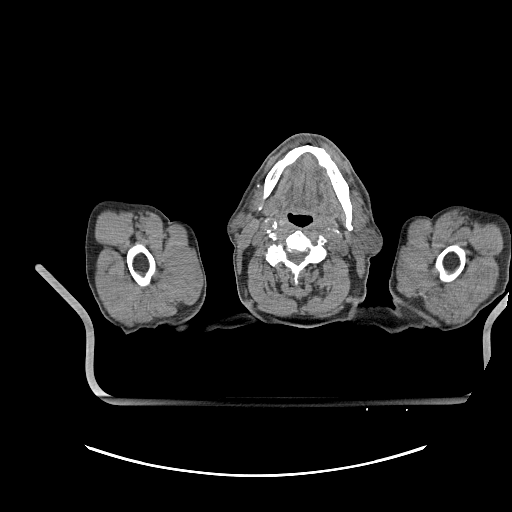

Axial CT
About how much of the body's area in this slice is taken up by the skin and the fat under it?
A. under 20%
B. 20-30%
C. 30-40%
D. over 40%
B. 20-30%
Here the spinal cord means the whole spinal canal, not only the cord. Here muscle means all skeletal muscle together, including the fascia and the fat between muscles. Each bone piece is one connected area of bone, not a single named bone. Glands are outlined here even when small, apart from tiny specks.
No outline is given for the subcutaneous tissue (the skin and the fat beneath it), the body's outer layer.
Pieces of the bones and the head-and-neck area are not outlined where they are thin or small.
{"bones":[[[304,144],[324,148],[345,179],[349,187],[349,198],[352,207],[352,230],[348,230],[345,226],[344,211],[336,196],[326,170],[318,163],[316,157],[309,152],[300,155],[294,162],[283,170],[270,194],[262,200],[264,180],[269,170],[276,161],[290,149]],{"outer":[[298,229],[317,245],[323,245],[327,254],[322,261],[318,263],[310,263],[301,270],[298,275],[298,282],[295,285],[293,284],[293,275],[290,270],[282,262],[279,262],[275,266],[272,266],[266,260],[265,252],[267,247],[273,241],[282,241],[289,234]],"hole":[[293,250],[294,250],[295,251],[297,251],[298,252],[306,252],[306,254],[305,255],[305,256],[303,258],[303,259],[299,263],[295,263],[294,262],[293,262],[291,260],[290,260],[287,257],[287,252],[291,252]]},[[136,242],[138,242],[144,245],[148,249],[153,256],[155,261],[155,264],[156,265],[156,271],[153,275],[150,283],[147,286],[144,286],[143,287],[142,286],[140,286],[132,277],[129,271],[129,269],[127,265],[127,262],[126,261],[126,254],[128,249]],[[452,244],[457,244],[465,250],[466,252],[466,259],[465,260],[465,265],[459,275],[452,281],[450,282],[442,282],[439,279],[438,277],[438,274],[435,271],[434,271],[434,263],[435,262],[435,260],[437,256],[441,252],[441,251],[447,246],[451,245]]],"left_arm":[[[450,205],[463,205],[479,210],[495,212],[503,216],[509,226],[511,258],[509,264],[509,279],[505,292],[483,308],[468,324],[456,329],[443,331],[433,327],[403,305],[393,301],[388,288],[388,279],[396,252],[400,228],[404,221],[418,214],[430,217]]],"submandibular_glands":[[[270,196],[274,196],[275,197],[276,197],[280,201],[281,204],[280,205],[280,206],[275,210],[272,211],[270,213],[266,213],[264,210],[264,207],[265,206],[265,204],[266,203],[267,200],[270,197]],[[328,202],[331,202],[332,203],[333,203],[335,205],[336,205],[338,207],[339,207],[340,208],[340,211],[339,212],[338,212],[337,213],[336,213],[335,214],[333,214],[330,211],[330,208],[329,207],[329,205],[328,204]]],"right_arm":[[[106,199],[152,205],[170,220],[181,220],[193,229],[197,238],[207,285],[203,305],[190,320],[190,324],[185,330],[179,332],[169,325],[161,324],[155,328],[140,328],[132,333],[125,334],[102,315],[86,277],[85,236],[88,217],[92,208],[98,202]]],"parotid_glands":[[[365,227],[369,227],[370,228],[372,228],[379,234],[379,236],[381,240],[380,249],[378,250],[374,254],[373,253],[371,253],[370,252],[365,251],[362,247],[362,244],[360,242],[360,240],[358,236],[358,234],[359,233],[359,230]],[[242,211],[246,211],[247,212],[249,212],[250,213],[251,213],[255,217],[251,220],[250,220],[242,228],[239,229],[235,233],[234,233],[233,232],[232,232],[232,230],[231,229],[231,224],[232,223],[232,221],[235,217],[235,216],[238,213],[239,213]]],"head_and_neck":[{"outer":[[300,132],[321,134],[335,143],[369,194],[383,245],[369,260],[362,304],[392,307],[392,301],[432,327],[411,327],[391,334],[348,321],[307,328],[257,321],[205,333],[198,330],[211,320],[246,310],[237,292],[233,245],[226,225],[265,157],[287,137]],"hole":[[289,214],[301,214],[302,215],[305,215],[306,216],[307,215],[311,217],[311,221],[310,221],[309,223],[308,223],[306,225],[303,225],[302,226],[300,226],[290,221],[288,217],[288,215]]}],"muscle":[{"outer":[[301,138],[321,140],[329,144],[347,163],[376,230],[369,226],[365,226],[358,230],[357,236],[359,242],[361,244],[361,247],[365,252],[367,252],[368,254],[370,253],[366,259],[363,275],[358,289],[351,303],[342,312],[334,317],[324,319],[311,317],[282,317],[264,313],[256,309],[246,298],[243,291],[238,272],[236,240],[233,235],[256,217],[251,212],[246,210],[242,210],[238,212],[269,158],[282,146],[296,139]],"holes":[[[304,144],[324,148],[345,179],[349,187],[349,198],[352,207],[352,230],[348,230],[345,226],[344,211],[336,196],[326,170],[318,163],[316,157],[309,152],[300,155],[294,162],[283,170],[270,194],[262,200],[264,180],[269,170],[276,161],[290,149]],[[298,229],[317,245],[323,245],[327,254],[322,261],[318,263],[310,263],[301,270],[298,275],[298,282],[295,285],[293,284],[293,275],[290,270],[282,262],[279,262],[275,266],[272,266],[266,260],[265,252],[267,247],[273,241],[282,241],[289,234]],[[289,214],[301,214],[302,215],[305,215],[306,216],[307,215],[311,217],[311,221],[310,221],[309,223],[308,223],[306,225],[303,225],[302,226],[300,226],[290,221],[288,217],[288,215]],[[270,196],[274,196],[275,197],[276,197],[280,201],[281,204],[280,205],[280,206],[275,210],[272,211],[270,213],[266,213],[264,210],[264,207],[265,206],[265,204],[266,203],[267,200],[270,197]],[[328,202],[331,202],[332,203],[333,203],[335,205],[336,205],[338,207],[339,207],[340,208],[340,211],[339,212],[338,212],[337,213],[336,213],[335,214],[333,214],[330,211],[330,208],[329,207],[329,205],[328,204]]]},{"outer":[[108,207],[148,210],[158,215],[166,227],[172,224],[180,224],[187,230],[202,275],[201,291],[193,304],[182,306],[172,315],[156,317],[151,321],[140,322],[131,326],[116,320],[108,313],[98,294],[94,278],[97,258],[94,236],[95,222],[100,211]],"hole":[[136,242],[138,242],[144,245],[148,249],[153,256],[155,261],[155,264],[156,265],[156,271],[153,275],[150,283],[147,286],[144,286],[143,287],[142,286],[140,286],[132,277],[129,271],[129,269],[127,265],[127,262],[126,261],[126,254],[128,249]]},{"outer":[[454,209],[495,221],[504,230],[505,240],[500,253],[500,267],[495,289],[486,299],[475,308],[467,318],[459,323],[449,324],[439,319],[421,305],[404,296],[397,290],[396,269],[398,264],[399,253],[409,224],[418,218],[427,219],[433,223],[441,215]],"hole":[[452,244],[457,244],[465,250],[466,252],[466,259],[465,260],[465,265],[459,275],[452,281],[450,282],[442,282],[439,279],[438,277],[438,274],[435,271],[434,271],[434,263],[435,262],[435,260],[437,256],[441,252],[441,251],[447,246],[451,245]]}],"spinal_cord":[[[293,250],[294,250],[295,251],[297,251],[298,252],[306,252],[306,254],[305,255],[305,256],[303,258],[303,259],[299,263],[295,263],[294,262],[293,262],[291,260],[290,260],[287,257],[287,252],[291,252]]]}